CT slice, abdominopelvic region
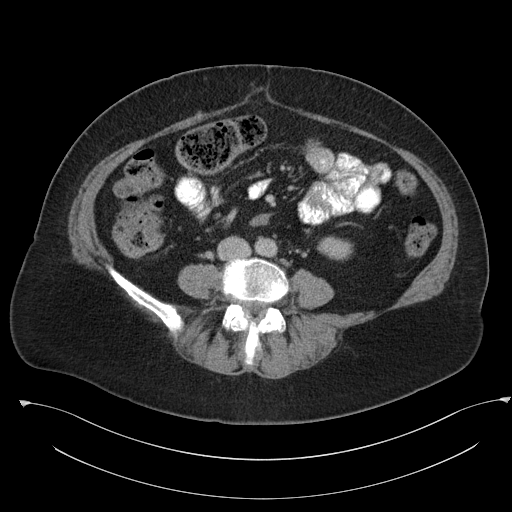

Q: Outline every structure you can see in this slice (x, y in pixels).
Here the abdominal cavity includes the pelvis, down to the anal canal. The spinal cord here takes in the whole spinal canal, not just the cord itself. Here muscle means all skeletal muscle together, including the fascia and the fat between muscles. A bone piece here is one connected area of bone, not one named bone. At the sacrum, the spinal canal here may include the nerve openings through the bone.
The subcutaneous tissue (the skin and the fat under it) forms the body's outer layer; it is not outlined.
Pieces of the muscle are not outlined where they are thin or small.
A: The muscle is outlined by 257 88; 266 88; 269 91; 273 99; 286 105; 289 105; 296 108; 301 108; 306 111; 317 113; 324 116; 327 116; 330 118; 346 122; 370 132; 398 147; 403 148; 413 153; 425 162; 442 180; 454 204; 455 212; 458 221; 458 243; 457 244; 455 262; 451 271; 448 282; 444 290; 437 296; 432 297; 430 299; 421 301; 415 304; 412 304; 404 308; 374 319; 360 326; 353 328; 343 336; 343 339; 341 343; 328 356; 325 357; 321 361; 309 368; 298 370; 285 377; 277 379; 264 378; 254 372; 244 372; 238 375; 226 375; 211 371; 199 365; 183 359; 176 352; 164 332; 157 325; 148 320; 134 307; 122 295; 121 292; 116 287; 93 271; 84 267; 82 265; 80 265; 73 259; 73 257; 69 251; 69 246; 66 234; 67 215; 76 195; 78 188; 87 174; 100 160; 120 147; 132 141; 141 139; 151 135; 164 127; 166 127; 177 121; 184 119; 189 116; 192 116; 203 112; 207 112; 211 110; 219 109; 239 102; 243 100; 252 91 with a hole at 255 97; 395 152; 429 188; 441 215; 442 234; 433 258; 393 303; 377 310; 313 311; 329 302; 335 291; 323 277; 296 269; 288 279; 288 292; 275 303; 285 330; 260 333; 260 349; 249 365; 244 362; 247 332; 222 326; 232 301; 221 291; 222 269; 190 263; 179 270; 178 287; 201 301; 172 304; 183 320; 175 335; 109 274; 105 265; 114 263; 98 237; 94 205; 108 176; 141 146. The abdominal cavity is outlined by 255 97; 377 141; 425 182; 441 215; 440 245; 393 303; 313 311; 334 297; 332 286; 302 267; 288 278; 278 264; 258 256; 231 260; 222 269; 211 263; 182 267; 176 283; 199 303; 162 301; 114 267; 94 214; 108 176; 144 144. The bones appear in 2 outlined pieces: piece 1: 252 257; 265 259; 278 265; 288 279; 289 290; 275 303; 285 320; 285 330; 260 333; 260 349; 256 350; 254 362; 249 365; 244 362; 247 332; 245 330; 227 330; 222 326; 225 309; 232 301; 221 291; 220 275; 226 263, around a hole outlined by 252 301; 258 301; 259 302; 261 302; 262 303; 265 304; 266 307; 264 310; 264 312; 263 313; 260 313; 259 314; 258 314; 255 316; 253 316; 252 315; 251 315; 247 311; 246 311; 244 309; 244 305; 246 303; 246 302; 251 302; piece 2: 106 264; 111 265; 124 277; 155 298; 160 300; 162 302; 169 303; 174 305; 177 312; 181 316; 183 320; 182 329; 178 331; 176 333; 176 335; 172 333; 164 324; 162 320; 154 312; 139 304; 134 300; 124 289; 115 282; 105 267. The spinal cord is outlined by 252 301; 258 301; 259 302; 261 302; 262 303; 265 304; 266 307; 264 310; 264 312; 263 313; 260 313; 259 314; 258 314; 255 316; 253 316; 252 315; 251 315; 247 311; 246 311; 244 309; 244 305; 246 303; 246 302; 251 302. The torso is outlined by 238 63; 306 66; 363 81; 411 109; 452 152; 478 202; 489 254; 483 338; 462 370; 398 400; 346 416; 296 424; 238 425; 157 411; 79 378; 32 367; 19 357; 9 332; 10 296; 49 183; 72 143; 108 106; 149 82; 198 67.